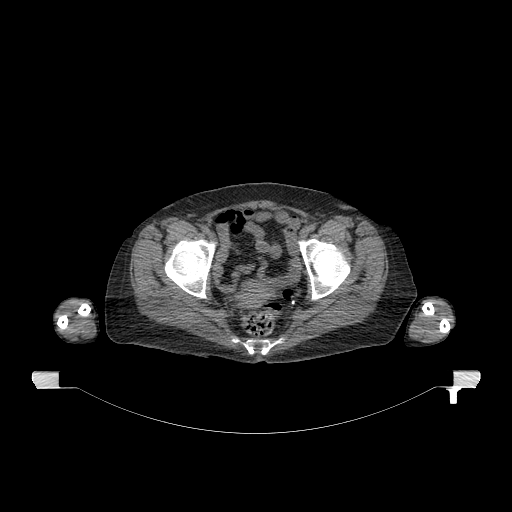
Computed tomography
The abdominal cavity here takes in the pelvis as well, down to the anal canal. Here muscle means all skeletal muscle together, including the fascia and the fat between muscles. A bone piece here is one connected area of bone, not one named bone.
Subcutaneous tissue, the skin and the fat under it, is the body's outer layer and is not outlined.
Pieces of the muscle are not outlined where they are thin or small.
{"torso":[[[247,182],[278,182],[328,192],[372,219],[393,228],[403,244],[417,288],[417,300],[391,341],[384,345],[305,361],[273,364],[261,361],[250,364],[217,357],[181,355],[136,344],[120,344],[107,336],[104,297],[109,272],[122,241],[145,218],[181,197]]],"right_arm":[[[70,296],[83,296],[84,297],[87,297],[94,302],[97,308],[98,316],[99,317],[99,328],[100,329],[96,340],[92,343],[86,343],[85,344],[67,343],[60,339],[57,336],[53,329],[53,326],[52,325],[52,314],[55,307],[60,301]]],"abdominal_cavity":[[[258,207],[289,210],[299,215],[304,223],[297,237],[300,239],[296,242],[305,267],[306,295],[278,337],[246,337],[236,333],[230,327],[227,315],[217,307],[211,291],[209,273],[217,245],[214,233],[208,227],[212,218],[230,208]]],"muscle":[[[262,199],[326,218],[361,217],[377,229],[387,252],[388,276],[364,322],[266,355],[285,341],[280,336],[304,302],[305,271],[310,300],[316,301],[336,290],[351,266],[334,243],[298,238],[305,225],[299,214],[258,206],[219,211],[207,227],[213,240],[180,239],[163,265],[171,281],[199,299],[208,298],[209,274],[216,307],[229,327],[246,338],[233,335],[230,341],[249,355],[140,314],[128,269],[131,249],[146,225]],{"outer":[[431,298],[440,299],[450,307],[453,317],[453,322],[451,326],[449,319],[447,317],[443,316],[440,319],[438,323],[438,331],[443,333],[444,335],[435,341],[421,342],[412,339],[409,337],[408,332],[409,326],[414,318],[414,315],[422,302],[424,300]],"hole":[[428,300],[429,300],[430,301],[431,301],[432,302],[432,305],[433,306],[433,307],[434,308],[434,313],[432,315],[425,315],[424,314],[424,313],[423,312],[423,311],[422,310],[422,305],[426,301],[427,301]]},[[71,299],[89,302],[90,305],[87,302],[82,302],[76,311],[84,318],[88,317],[91,311],[93,313],[96,330],[92,337],[72,340],[65,337],[57,329],[58,327],[64,330],[68,326],[69,319],[65,313],[60,314],[56,321],[55,317],[58,309]]],"bones":[[[183,239],[186,239],[187,240],[206,239],[209,241],[215,241],[216,242],[215,251],[213,254],[211,266],[206,280],[206,290],[205,292],[207,298],[199,298],[186,292],[171,280],[165,273],[164,265],[166,260],[171,254],[171,252],[175,244],[178,241]],[[309,238],[315,238],[321,241],[330,242],[334,244],[338,247],[344,254],[350,266],[350,271],[348,275],[338,287],[326,296],[321,297],[316,300],[311,300],[311,286],[309,281],[309,276],[307,273],[307,270],[297,242],[298,240],[301,239],[308,239]],[[233,336],[236,336],[242,340],[244,340],[247,338],[270,338],[274,340],[279,337],[284,337],[285,339],[282,343],[274,345],[265,355],[262,355],[258,351],[254,354],[250,355],[248,353],[248,351],[241,343],[239,342],[236,343],[231,341],[231,338]],[[428,300],[429,300],[430,301],[431,301],[432,302],[432,305],[433,306],[433,307],[434,308],[434,313],[432,315],[425,315],[424,314],[424,313],[423,312],[423,311],[422,310],[422,305],[426,301],[427,301]],[[443,317],[445,317],[446,318],[447,318],[448,319],[448,321],[449,322],[449,323],[450,324],[450,329],[449,330],[449,331],[447,333],[444,333],[443,332],[441,332],[440,331],[439,331],[439,323],[440,322],[440,321],[441,320],[441,319]],[[82,303],[87,303],[91,307],[91,310],[90,311],[90,312],[89,313],[89,314],[88,315],[88,316],[87,316],[86,317],[84,317],[83,316],[82,316],[81,315],[80,315],[78,313],[78,312],[77,311],[77,310],[78,309],[78,308]],[[64,314],[65,314],[67,316],[67,318],[68,319],[68,322],[67,323],[67,326],[66,327],[66,328],[65,328],[64,329],[61,329],[57,325],[57,324],[56,323],[56,322],[57,321],[57,320],[58,319],[58,317],[60,315],[63,315]]],"left_arm":[[[430,294],[442,296],[448,299],[451,302],[454,307],[455,314],[456,315],[456,324],[455,327],[449,332],[447,338],[439,343],[426,347],[407,347],[403,342],[403,336],[405,332],[409,313],[415,306],[417,301],[420,298],[423,296],[429,295]]]}